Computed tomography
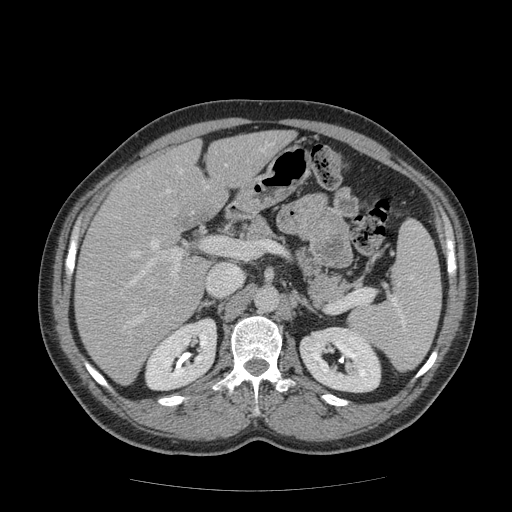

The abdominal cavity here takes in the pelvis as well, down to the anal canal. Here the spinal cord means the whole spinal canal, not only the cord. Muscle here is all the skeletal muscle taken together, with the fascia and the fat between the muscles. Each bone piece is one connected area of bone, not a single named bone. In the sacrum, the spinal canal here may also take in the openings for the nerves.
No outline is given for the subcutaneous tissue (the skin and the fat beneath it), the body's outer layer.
Outlines:
torso: [[231,98],[313,100],[360,113],[426,162],[465,211],[479,280],[467,351],[426,411],[381,443],[335,455],[287,451],[261,440],[219,455],[151,452],[125,443],[96,424],[49,358],[38,320],[38,276],[48,232],[63,202],[102,160],[148,122],[184,106]]
muscle: [[228,117],[241,117],[247,119],[272,119],[273,120],[285,119],[286,118],[298,118],[299,119],[314,120],[331,123],[361,133],[383,145],[392,153],[425,175],[436,184],[447,196],[449,202],[457,214],[463,233],[464,248],[465,249],[465,266],[466,267],[465,269],[466,273],[466,297],[464,302],[463,315],[462,319],[460,321],[460,329],[457,332],[450,349],[446,353],[443,361],[436,370],[433,378],[418,397],[401,412],[392,415],[385,421],[371,429],[351,436],[327,441],[306,441],[297,439],[293,436],[282,435],[272,430],[262,421],[258,421],[257,423],[251,423],[247,427],[240,431],[239,433],[232,436],[209,441],[175,439],[152,434],[137,428],[125,419],[121,418],[111,410],[108,409],[101,402],[97,400],[87,388],[81,384],[80,378],[77,375],[75,370],[59,345],[59,341],[54,328],[55,321],[51,304],[53,265],[55,260],[55,254],[58,245],[58,238],[60,232],[65,219],[74,204],[82,195],[91,189],[102,178],[127,162],[135,153],[160,136],[180,127],[183,127],[197,122]]; inner edge: [[248,124],[279,124],[316,132],[346,143],[407,177],[430,202],[445,256],[442,211],[449,219],[457,270],[455,276],[448,277],[445,312],[433,347],[437,357],[426,372],[393,395],[373,402],[350,400],[342,406],[326,403],[320,396],[328,391],[303,373],[295,340],[290,335],[282,345],[278,368],[284,378],[296,384],[279,392],[274,383],[262,381],[258,388],[258,416],[252,414],[254,391],[248,381],[237,385],[231,395],[224,387],[211,387],[233,368],[228,339],[221,343],[211,373],[176,393],[189,397],[174,406],[162,405],[155,397],[132,399],[115,389],[110,391],[85,367],[86,357],[70,326],[72,278],[64,270],[76,221],[80,222],[79,242],[114,183],[156,151]]
bones 1: [[252,315],[265,316],[278,326],[283,338],[278,368],[284,378],[296,383],[279,392],[274,383],[262,381],[258,388],[258,416],[252,414],[254,391],[248,381],[237,385],[231,395],[227,394],[224,387],[221,390],[211,387],[233,368],[230,337],[235,324]]; inner edge: [[253,358],[256,358],[257,359],[261,359],[262,360],[264,360],[266,362],[267,362],[268,364],[268,367],[262,373],[258,375],[253,375],[251,373],[250,373],[245,368],[244,366],[246,362],[247,362],[249,360]]
bones 2: [[442,211],[445,213],[449,219],[449,221],[453,230],[453,237],[455,241],[455,258],[456,259],[457,270],[456,271],[455,276],[452,276],[451,277],[448,275],[447,265],[446,264],[446,246],[445,245],[445,236],[444,235],[444,224],[442,219]]
bones 3: [[78,219],[79,219],[80,223],[79,224],[79,233],[78,234],[78,244],[75,254],[75,263],[74,264],[74,267],[71,277],[68,278],[65,274],[64,262],[68,250],[68,246],[70,241],[70,236],[72,232],[72,229],[76,221]]
bones 4: [[84,358],[86,359],[104,377],[106,381],[111,386],[111,387],[113,389],[112,391],[110,391],[108,390],[105,387],[100,385],[92,377],[92,376],[89,373],[89,372],[87,370],[87,369],[84,365],[84,361],[83,360]]
bones 5: [[175,394],[176,395],[183,395],[184,396],[188,396],[189,397],[188,399],[185,402],[184,401],[182,403],[178,405],[175,405],[174,406],[167,406],[166,405],[162,405],[157,402],[157,398],[159,397],[162,397],[163,396],[168,396],[169,395],[174,395]]
bones 6: [[434,349],[436,349],[437,350],[437,357],[436,358],[434,363],[431,366],[431,367],[426,372],[425,372],[422,375],[421,375],[413,381],[410,381],[410,380],[414,376],[414,375],[418,371],[418,370],[423,365],[423,364],[429,357],[431,352]]
bones 7: [[325,393],[331,393],[338,397],[340,397],[341,398],[344,398],[345,399],[347,399],[348,400],[349,400],[349,403],[347,405],[343,405],[342,406],[340,406],[339,405],[331,405],[330,404],[328,404],[320,398],[320,396],[322,394],[324,394]]
abdominal cavity: [[248,124],[293,126],[346,143],[407,177],[429,200],[448,276],[445,312],[428,357],[393,395],[357,402],[328,392],[303,373],[294,338],[284,342],[261,314],[234,324],[209,375],[156,398],[120,394],[76,343],[69,317],[76,254],[105,194],[166,146]]
spinal cord: [[253,358],[256,358],[257,359],[261,359],[262,360],[264,360],[266,362],[267,362],[268,364],[268,367],[262,373],[258,375],[253,375],[251,373],[250,373],[245,368],[244,366],[246,362],[247,362],[249,360]]